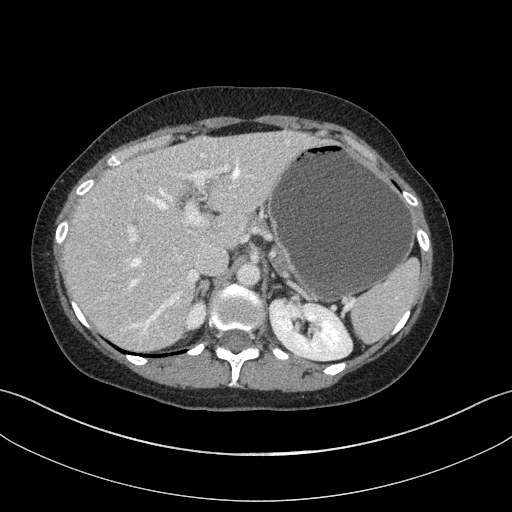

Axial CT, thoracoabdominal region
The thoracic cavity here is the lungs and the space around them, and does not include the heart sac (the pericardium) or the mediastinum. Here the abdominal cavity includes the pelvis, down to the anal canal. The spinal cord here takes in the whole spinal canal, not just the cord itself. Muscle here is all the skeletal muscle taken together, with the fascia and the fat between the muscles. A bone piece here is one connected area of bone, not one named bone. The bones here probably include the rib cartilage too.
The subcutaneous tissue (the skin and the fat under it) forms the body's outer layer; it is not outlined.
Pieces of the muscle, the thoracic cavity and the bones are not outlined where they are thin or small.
The spinal cord is outlined by (233, 352) (238, 352) (244, 349) (246, 347) (249, 346) (251, 344) (251, 340) (248, 334) (245, 331) (243, 330) (239, 330) (238, 329) (233, 329) (232, 330) (228, 330) (227, 331) (224, 331) (223, 332) (222, 336) (220, 339) (220, 344) (221, 344) (224, 347) (231, 350). The muscle is outlined by (283, 392) (331, 386) (345, 374) (379, 357) (409, 332) (432, 283) (433, 262) (430, 230) (414, 189) (351, 130) (335, 123) (292, 115) (216, 116) (168, 125) (107, 152) (71, 188) (54, 222) (51, 253) (56, 291) (69, 320) (103, 354) (147, 379) (183, 389) (227, 386) (230, 366) (214, 354) (219, 343) (214, 328) (208, 327) (201, 340) (207, 344) (198, 355) (179, 353) (148, 358) (144, 365) (137, 366) (93, 328) (89, 330) (83, 326) (70, 305) (72, 295) (63, 278) (61, 245) (53, 239) (54, 230) (60, 221) (69, 219) (79, 200) (80, 196) (74, 193) (76, 187) (108, 167) (105, 160) (113, 152) (162, 134) (172, 134) (173, 139) (184, 138) (247, 121) (316, 133) (319, 129) (327, 129) (330, 135) (341, 139) (345, 133) (367, 147) (377, 158) (375, 162) (368, 160) (418, 199) (419, 204) (410, 209) (416, 229) (425, 230) (431, 248) (421, 251) (418, 289) (406, 324) (395, 335) (388, 334) (347, 360) (344, 370) (330, 376) (322, 372) (325, 364) (293, 356) (287, 360) (277, 359) (270, 350) (275, 344) (267, 332) (265, 318) (254, 340) (260, 355) (243, 364) (238, 388). The torso is outlined by (210, 411) (298, 411) (361, 400) (399, 379) (418, 358) (437, 325) (453, 271) (453, 240) (445, 209) (389, 128) (350, 100) (292, 86) (206, 85) (160, 95) (127, 112) (98, 135) (61, 172) (40, 206) (31, 239) (32, 277) (48, 326) (66, 358) (101, 382) (181, 409). The bones appear in 11 outlined pieces: piece 1: (229, 387) (240, 386) (237, 381) (242, 364) (259, 355) (253, 340) (255, 330) (264, 319) (258, 295) (236, 283) (216, 292) (209, 318) (218, 339) (224, 330) (238, 328) (245, 330) (252, 340) (249, 347) (238, 353) (219, 344) (215, 348) (217, 357) (227, 360) (231, 366); piece 2: (108, 166) (117, 165) (126, 157) (139, 150) (149, 148) (150, 147) (154, 147) (158, 145) (162, 145) (170, 141) (173, 138) (172, 135) (167, 134) (166, 135) (162, 135) (156, 137) (153, 139) (148, 139) (143, 142) (137, 143) (120, 151) (113, 153) (106, 160) (106, 163); piece 3: (371, 161) (375, 161) (376, 160) (376, 158) (375, 156) (367, 148) (366, 148) (364, 146) (360, 144) (357, 141) (356, 141) (351, 137) (345, 134) (343, 134) (342, 135) (342, 139) (344, 141) (345, 141) (346, 143) (347, 143) (352, 148) (358, 151) (362, 155) (363, 155); piece 4: (422, 251) (427, 251) (429, 250) (430, 248) (430, 241) (429, 240) (429, 238) (427, 234) (424, 231) (424, 230) (423, 230) (421, 228) (417, 228) (416, 230) (416, 235) (417, 236) (417, 239) (418, 240) (418, 242) (419, 243) (420, 248); piece 5: (58, 244) (61, 244) (62, 243) (62, 242) (65, 237) (65, 235) (67, 232) (67, 226) (68, 225) (68, 221) (67, 220) (63, 220) (61, 222) (60, 222) (59, 223) (59, 224) (57, 226) (57, 227) (55, 230) (55, 235) (54, 236) (54, 239) (55, 240) (55, 241); piece 6: (330, 375) (333, 375) (334, 374) (336, 374) (338, 372) (339, 372) (343, 369) (344, 369) (344, 368) (346, 366) (346, 362) (345, 361) (342, 361) (341, 362) (334, 363) (333, 364) (328, 365) (325, 368) (324, 368) (324, 369) (323, 370) (323, 372) (326, 374) (329, 374); piece 7: (391, 335) (393, 335) (394, 334) (395, 334) (405, 324) (405, 323) (408, 319) (408, 318) (409, 317) (409, 315) (410, 314) (410, 306) (406, 310) (406, 311) (404, 313) (404, 314) (402, 316) (402, 317) (399, 320) (399, 321) (396, 324) (396, 325) (390, 333) (390, 334); piece 8: (77, 195) (82, 195) (84, 193) (85, 193) (93, 185) (93, 184) (94, 183) (94, 179) (93, 179) (92, 178) (91, 178) (90, 179) (88, 179) (87, 180) (86, 180) (85, 181) (84, 181) (82, 183) (81, 183) (77, 187) (77, 188) (75, 191) (75, 193); piece 9: (89, 329) (91, 327) (90, 326) (90, 325) (85, 319) (83, 314) (79, 309) (77, 304) (74, 301) (73, 298) (73, 301) (71, 303) (71, 305) (72, 306) (72, 308) (75, 312) (75, 314) (76, 315) (76, 316) (78, 318) (78, 319) (82, 323) (82, 324); piece 10: (412, 206) (416, 206) (418, 204) (418, 201) (417, 200) (417, 199) (411, 193) (410, 193) (409, 192) (408, 192) (407, 191) (406, 191) (405, 190) (402, 190) (402, 192) (401, 193) (402, 194) (402, 195) (403, 196) (403, 197) (404, 198) (404, 199) (410, 205) (411, 205); piece 11: (191, 355) (195, 355) (196, 354) (198, 354) (199, 353) (200, 353) (204, 348) (204, 347) (205, 346) (205, 345) (206, 344) (206, 343) (205, 342) (201, 342) (198, 344) (196, 344) (191, 348) (190, 348) (189, 349) (188, 349) (185, 352) (187, 354) (190, 354). The thoracic cavity is outlined by (123, 353) (126, 353) (127, 352) (130, 352) (131, 353) (135, 353) (134, 353) (133, 352) (128, 352) (121, 348) (119, 348) (117, 346) (115, 346) (113, 344) (108, 342) (106, 340) (106, 341) (107, 342) (108, 342) (111, 345) (112, 345) (119, 351) (120, 351). The abdominal cavity is outlined by (326, 364) (361, 353) (391, 331) (413, 301) (421, 267) (413, 217) (401, 189) (345, 142) (305, 130) (233, 124) (139, 151) (104, 170) (81, 196) (68, 220) (62, 270) (75, 301) (104, 339) (136, 353) (187, 349) (209, 326) (212, 296) (236, 282) (259, 295) (276, 346).